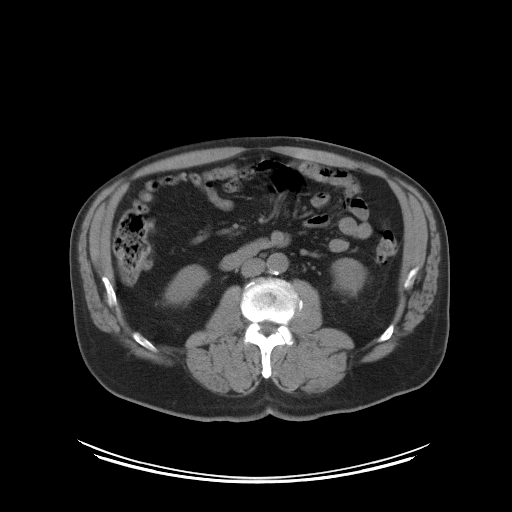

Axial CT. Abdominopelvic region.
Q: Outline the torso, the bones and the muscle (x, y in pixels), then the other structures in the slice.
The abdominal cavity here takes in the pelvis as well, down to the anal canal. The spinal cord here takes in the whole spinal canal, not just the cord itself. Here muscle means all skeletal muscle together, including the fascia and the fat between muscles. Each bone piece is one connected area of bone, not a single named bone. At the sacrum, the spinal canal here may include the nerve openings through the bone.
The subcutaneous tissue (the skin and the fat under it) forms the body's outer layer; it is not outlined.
A: {"torso":[[[279,135],[323,140],[374,155],[414,178],[434,198],[446,225],[450,263],[449,335],[435,374],[416,390],[357,411],[308,421],[268,415],[252,421],[203,422],[163,413],[112,394],[87,369],[74,331],[69,239],[78,210],[104,181],[155,152],[219,138]]],"bones":[{"outer":[[259,277],[280,278],[290,282],[303,304],[301,309],[295,310],[287,324],[293,343],[290,345],[279,344],[271,350],[271,375],[268,378],[264,378],[261,374],[259,347],[253,343],[244,343],[244,332],[249,322],[243,316],[240,308],[244,286],[252,279]],"hole":[[262,321],[270,321],[271,322],[273,322],[274,323],[275,323],[277,325],[277,326],[275,329],[275,331],[274,332],[272,332],[271,333],[270,333],[268,335],[265,335],[263,333],[262,333],[261,332],[260,332],[260,326],[259,325],[259,322],[261,322]]},[[103,276],[105,276],[108,278],[109,281],[111,283],[111,284],[115,291],[115,294],[116,295],[116,299],[117,300],[117,307],[116,308],[115,308],[114,307],[110,307],[107,303],[107,296],[106,295],[106,290],[105,289],[104,284],[101,279],[101,278]],[[134,331],[136,331],[138,332],[142,336],[143,336],[146,339],[150,341],[155,346],[157,350],[156,351],[153,351],[139,344],[133,338],[132,336],[132,333]],[[416,266],[418,266],[419,267],[419,268],[415,275],[415,277],[414,278],[414,281],[413,282],[413,285],[410,288],[409,288],[408,289],[406,289],[404,287],[404,281],[405,280],[405,279],[406,278],[406,277],[407,276],[409,271],[412,268],[413,268]],[[391,323],[392,323],[393,324],[393,332],[392,333],[392,334],[391,335],[391,336],[388,339],[387,339],[386,340],[385,340],[384,341],[378,341],[377,340],[378,339],[378,338],[379,337],[379,336],[386,329],[386,328]]],"muscle":[{"outer":[[228,146],[294,146],[327,151],[369,163],[417,189],[433,212],[440,239],[440,259],[437,289],[424,318],[412,332],[401,338],[393,351],[375,361],[355,363],[337,384],[323,392],[295,395],[280,390],[270,381],[264,381],[254,391],[244,396],[220,395],[201,385],[187,369],[156,364],[131,354],[111,334],[99,329],[91,319],[80,273],[77,244],[85,215],[96,197],[117,180],[131,175],[147,164],[185,152]],"holes":[[[249,151],[361,170],[391,188],[401,210],[403,247],[388,339],[378,341],[377,336],[356,347],[345,331],[322,326],[318,290],[294,278],[290,282],[303,304],[287,324],[293,343],[273,347],[271,375],[264,378],[259,347],[243,340],[249,322],[240,308],[240,285],[226,288],[205,328],[190,334],[183,347],[144,347],[133,338],[118,297],[116,308],[108,305],[101,278],[107,277],[116,290],[112,222],[131,182]],[[416,266],[418,266],[419,267],[419,268],[415,275],[415,277],[414,278],[414,281],[413,282],[413,285],[410,288],[409,288],[408,289],[406,289],[404,287],[404,281],[405,280],[405,279],[406,278],[406,277],[407,276],[409,271],[412,268],[413,268]]]}],"spinal_cord":[[[262,321],[270,321],[271,322],[273,322],[274,323],[275,323],[277,325],[277,326],[275,329],[275,331],[274,332],[272,332],[271,333],[270,333],[268,335],[265,335],[263,333],[262,333],[261,332],[260,332],[260,326],[259,325],[259,322],[261,322]]],"abdominal_cavity":[[[249,151],[361,170],[391,188],[401,210],[403,247],[397,304],[378,336],[356,347],[345,331],[322,326],[320,295],[308,281],[273,276],[227,287],[205,328],[190,334],[183,347],[154,344],[130,326],[116,294],[110,241],[116,208],[131,182]]]}